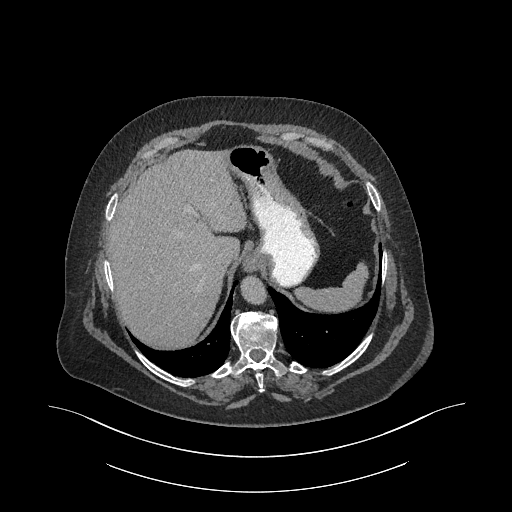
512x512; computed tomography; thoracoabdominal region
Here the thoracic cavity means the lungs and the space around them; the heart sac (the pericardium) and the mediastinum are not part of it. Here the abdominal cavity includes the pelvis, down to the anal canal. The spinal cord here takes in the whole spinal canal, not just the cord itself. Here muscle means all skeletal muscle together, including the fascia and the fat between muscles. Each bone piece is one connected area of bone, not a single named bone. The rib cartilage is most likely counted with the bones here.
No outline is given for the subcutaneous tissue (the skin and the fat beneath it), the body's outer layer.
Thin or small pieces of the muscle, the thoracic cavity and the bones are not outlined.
{"bones":[{"outer":[[248,311],[277,317],[277,347],[284,351],[277,355],[307,367],[305,373],[286,371],[276,376],[266,367],[262,370],[264,391],[261,393],[255,371],[251,368],[236,377],[231,374],[220,378],[209,376],[229,356],[235,357],[238,353],[230,324],[236,315]],"hole":[[259,349],[260,350],[262,350],[263,351],[263,352],[264,353],[264,356],[260,360],[259,360],[258,361],[256,361],[255,360],[254,360],[250,356],[250,352],[252,350],[258,350]]},[[133,347],[136,347],[150,361],[168,373],[176,377],[179,377],[180,378],[194,378],[195,379],[195,383],[188,387],[182,387],[181,386],[178,386],[175,384],[170,383],[162,379],[150,371],[141,362],[141,361],[135,354],[133,350]],[[371,331],[373,331],[374,332],[374,334],[368,346],[364,352],[354,362],[339,372],[330,376],[322,375],[320,373],[320,372],[323,369],[329,368],[339,363],[347,356],[348,356],[357,347],[357,346],[361,342],[364,337]],[[291,131],[296,131],[297,132],[303,133],[305,135],[307,135],[308,136],[311,136],[312,137],[315,137],[320,139],[324,139],[331,143],[334,149],[334,151],[330,149],[318,147],[300,138],[283,138],[280,136],[280,134],[284,132],[290,132]],[[170,136],[172,136],[173,137],[175,136],[179,138],[179,140],[176,143],[173,145],[169,145],[166,147],[162,148],[152,157],[150,157],[147,159],[142,158],[141,156],[142,154],[147,150],[150,149],[154,145],[154,144],[161,139],[166,137],[169,137]],[[367,180],[370,181],[375,186],[380,196],[380,200],[381,201],[381,204],[380,206],[381,207],[380,208],[380,211],[379,212],[377,212],[374,209],[372,205],[371,200],[369,197],[369,195],[368,194],[368,192],[367,191],[367,189],[365,185],[365,181]],[[114,192],[117,192],[118,193],[118,201],[117,202],[117,205],[115,208],[115,211],[113,214],[113,217],[112,218],[111,221],[107,221],[105,218],[105,209],[106,208],[106,205],[107,204],[107,202],[108,201],[108,200],[110,198],[110,197]],[[104,259],[107,259],[109,262],[109,266],[111,270],[111,276],[113,280],[113,287],[114,288],[114,290],[113,292],[111,292],[107,284],[107,282],[105,279],[105,275],[104,274],[104,270],[103,269],[103,260]],[[383,248],[385,248],[386,249],[386,250],[387,251],[387,256],[388,257],[388,263],[387,264],[387,269],[386,270],[386,275],[385,276],[385,279],[384,280],[384,283],[383,284],[383,285],[382,286],[381,285],[381,260],[382,259],[382,249]]],"torso":[[[197,95],[285,96],[328,104],[360,122],[387,154],[419,233],[433,318],[433,347],[429,357],[419,371],[389,397],[350,413],[306,423],[222,426],[152,411],[74,378],[61,366],[56,333],[64,305],[66,244],[90,168],[105,144],[126,123],[164,102]]],"thoracic_cavity":[[[380,243],[382,248],[381,289],[378,305],[366,334],[360,342],[339,362],[322,369],[308,367],[294,359],[287,360],[289,355],[281,343],[278,345],[279,320],[269,287],[285,296],[296,308],[307,313],[341,314],[360,308],[371,299],[376,287]],[[235,281],[232,293],[232,303],[230,310],[229,324],[230,337],[232,340],[231,348],[229,355],[224,362],[211,372],[195,377],[176,376],[150,360],[131,339],[128,332],[129,332],[142,344],[153,350],[158,351],[183,350],[197,345],[210,334],[218,322]]],"abdominal_cavity":[[[219,126],[250,129],[260,134],[256,140],[315,162],[337,191],[354,182],[363,187],[362,212],[379,239],[375,287],[360,307],[312,313],[270,286],[255,263],[244,261],[204,339],[183,349],[153,349],[128,331],[114,293],[108,259],[114,214],[150,158]]],"muscle":[[[223,119],[302,125],[335,139],[375,176],[389,216],[414,317],[399,343],[381,363],[343,381],[332,392],[316,399],[286,403],[262,393],[265,391],[263,370],[269,368],[276,377],[281,377],[286,372],[305,374],[312,368],[321,369],[319,373],[322,376],[330,377],[354,363],[365,352],[375,334],[373,330],[367,332],[378,309],[389,263],[388,251],[380,242],[382,233],[374,211],[379,213],[382,207],[376,186],[370,180],[364,182],[356,176],[334,152],[332,143],[324,138],[296,130],[276,135],[261,134],[242,126],[219,125],[193,142],[162,149],[180,140],[175,135],[166,136],[141,154],[141,158],[147,160],[145,164],[119,199],[119,193],[114,191],[105,205],[104,218],[111,225],[107,258],[102,260],[104,279],[115,296],[123,323],[136,346],[132,347],[136,357],[157,377],[182,388],[195,384],[196,377],[208,375],[220,379],[231,375],[236,378],[246,369],[251,369],[260,394],[246,405],[224,409],[178,395],[111,351],[89,334],[83,325],[96,230],[111,184],[122,175],[137,150],[152,138],[174,129]]],"spinal_cord":[[[259,349],[260,350],[262,350],[263,351],[263,352],[264,353],[264,356],[260,360],[259,360],[258,361],[256,361],[255,360],[254,360],[250,356],[250,352],[252,350],[258,350]]],"mediastinum":[[[261,135],[300,139],[318,148],[330,150],[337,155],[350,171],[363,181],[381,237],[378,237],[374,230],[374,222],[370,214],[363,212],[362,206],[366,194],[361,184],[354,181],[337,190],[330,178],[320,175],[318,164],[315,161],[266,144],[255,138]],[[244,262],[251,262],[255,264],[261,272],[261,275],[269,284],[267,289],[274,303],[276,316],[271,313],[266,313],[259,310],[248,310],[236,314],[231,319],[233,293],[234,286],[236,283],[236,281],[235,280],[234,281],[234,276],[236,275],[238,267]]]}